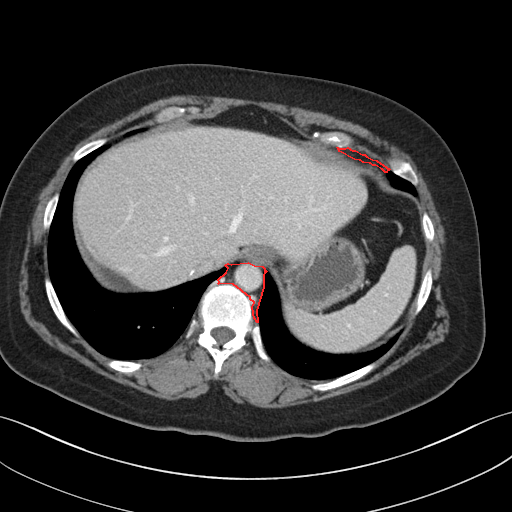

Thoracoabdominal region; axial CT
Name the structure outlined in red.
red: mediastinum.
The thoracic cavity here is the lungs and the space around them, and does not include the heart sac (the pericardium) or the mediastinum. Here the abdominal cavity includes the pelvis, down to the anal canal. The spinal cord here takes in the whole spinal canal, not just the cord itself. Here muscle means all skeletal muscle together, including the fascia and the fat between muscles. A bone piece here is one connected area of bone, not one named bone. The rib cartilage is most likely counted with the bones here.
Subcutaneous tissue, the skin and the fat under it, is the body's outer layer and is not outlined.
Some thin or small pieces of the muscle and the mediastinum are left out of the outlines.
{"mediastinum":[[[248,262],[254,265],[262,266],[266,271],[264,272],[263,275],[263,287],[256,310],[257,322],[254,318],[252,307],[254,302],[250,299],[250,297],[233,284],[218,283],[219,282],[218,279],[226,272],[228,268],[225,265],[228,263],[231,264]],[[337,147],[338,148],[345,148],[347,147],[352,150],[355,150],[362,154],[364,154],[366,156],[372,159],[376,160],[389,169],[387,170],[386,172],[385,172],[382,169],[375,165],[373,165],[370,163],[363,162],[360,160],[354,159],[339,151]]],"abdominal_cavity":[[[244,105],[263,108],[304,136],[379,168],[394,188],[417,198],[424,273],[401,329],[379,346],[334,354],[304,345],[284,323],[273,277],[248,261],[228,262],[167,289],[134,293],[104,288],[84,263],[74,238],[72,204],[78,180],[96,156],[157,122]]],"torso":[[[171,63],[232,65],[359,86],[407,106],[440,134],[464,176],[479,235],[485,341],[477,363],[468,373],[435,399],[372,425],[318,437],[242,442],[147,429],[114,419],[28,381],[4,362],[0,356],[0,203],[13,173],[48,125],[84,94],[123,74]]],"spinal_cord":[[[218,327],[227,327],[228,328],[229,328],[231,330],[232,330],[234,333],[234,335],[233,336],[233,337],[229,340],[228,340],[226,342],[225,342],[222,344],[220,344],[211,334],[211,332],[212,331],[212,330],[213,329],[214,329],[215,328],[217,328]]],"bones":[{"outer":[[215,280],[218,284],[233,285],[253,302],[253,318],[271,359],[268,362],[258,355],[248,333],[245,337],[246,345],[224,360],[216,379],[213,376],[214,359],[197,342],[202,329],[199,327],[189,338],[185,338],[192,318],[198,315],[198,304],[203,293]],"hole":[[218,327],[227,327],[228,328],[229,328],[231,330],[232,330],[234,333],[234,335],[233,336],[233,337],[229,340],[228,340],[226,342],[225,342],[222,344],[220,344],[211,334],[211,332],[212,331],[212,330],[213,329],[214,329],[215,328],[217,328]]},[[372,362],[376,362],[376,366],[368,373],[356,380],[354,380],[346,384],[325,391],[315,390],[311,387],[311,385],[313,384],[323,383],[329,381],[332,379],[337,378],[340,376],[355,371],[368,364],[370,364]],[[46,277],[48,277],[50,279],[51,283],[52,284],[52,286],[54,289],[54,291],[61,305],[61,307],[66,317],[77,331],[78,333],[77,335],[73,334],[67,328],[66,328],[56,317],[49,303],[49,301],[46,294],[45,286],[44,285],[44,279]],[[390,158],[398,158],[399,159],[401,159],[404,161],[406,161],[408,162],[414,170],[417,176],[417,180],[418,181],[417,182],[417,185],[414,186],[409,181],[400,177],[398,175],[394,173],[390,169],[390,166],[388,163],[388,159]],[[315,131],[320,131],[321,132],[324,132],[325,131],[329,131],[330,132],[331,131],[342,132],[349,135],[353,140],[348,146],[345,147],[338,147],[336,145],[334,145],[331,143],[327,143],[324,141],[320,140],[318,138],[314,138],[312,137],[312,133]],[[429,268],[431,269],[431,272],[432,273],[432,286],[431,287],[430,293],[427,298],[426,302],[420,311],[417,314],[413,315],[413,312],[415,309],[416,298],[417,297],[417,295],[418,294],[418,292],[419,291],[419,289],[422,282],[423,276],[427,269]],[[169,106],[178,106],[179,107],[187,107],[188,106],[196,106],[200,108],[200,111],[199,111],[197,113],[185,113],[183,115],[179,117],[175,117],[172,119],[169,119],[165,121],[157,121],[155,117],[155,115],[162,109],[166,107],[168,107]],[[103,137],[105,137],[108,139],[107,142],[101,145],[99,147],[94,149],[86,155],[80,158],[77,161],[75,162],[73,161],[72,158],[75,152],[80,147],[81,147],[84,144],[92,140],[94,140],[98,138],[102,138]],[[110,359],[117,359],[118,360],[124,360],[125,361],[136,361],[137,362],[140,362],[142,364],[142,365],[141,366],[141,367],[139,369],[138,369],[137,370],[135,370],[132,372],[122,372],[121,371],[116,370],[115,369],[110,367],[107,364],[108,361]],[[57,192],[59,193],[59,196],[58,197],[57,204],[56,205],[56,207],[53,214],[53,217],[52,218],[52,220],[49,227],[49,230],[45,230],[43,227],[43,218],[44,217],[44,211],[45,210],[45,207],[47,204],[47,202],[50,199],[50,198]],[[424,212],[426,212],[428,214],[433,224],[433,227],[434,228],[434,235],[433,236],[433,239],[432,241],[426,241],[425,239],[425,236],[424,235],[424,232],[423,231],[423,228],[422,227],[422,215]]],"muscle":[{"outer":[[182,94],[211,95],[212,96],[232,97],[241,99],[250,99],[256,101],[269,101],[290,106],[297,106],[314,111],[323,112],[335,117],[348,120],[356,124],[359,124],[368,129],[380,138],[386,140],[390,144],[393,144],[397,146],[404,152],[407,153],[413,160],[421,173],[428,189],[431,193],[435,207],[440,216],[441,222],[444,227],[445,247],[444,248],[444,255],[443,256],[443,263],[441,272],[441,284],[444,294],[446,308],[449,314],[449,333],[447,337],[443,341],[426,349],[389,374],[368,385],[347,393],[340,394],[316,402],[301,403],[291,406],[278,407],[277,408],[266,408],[254,405],[237,403],[224,393],[221,384],[217,381],[212,383],[210,385],[209,389],[205,393],[194,398],[180,398],[171,400],[156,397],[131,386],[110,379],[90,369],[77,360],[54,348],[44,341],[26,322],[20,310],[19,293],[18,292],[20,267],[23,257],[24,246],[27,234],[27,228],[29,223],[30,214],[36,202],[38,194],[52,173],[63,159],[81,140],[91,133],[101,127],[137,110],[150,102],[160,98]],"hole":[[244,105],[271,112],[309,138],[315,131],[345,133],[353,140],[348,148],[389,169],[390,158],[408,162],[417,176],[414,187],[419,211],[426,212],[433,224],[433,239],[425,242],[423,261],[423,272],[430,268],[432,273],[426,302],[415,315],[413,306],[397,339],[374,361],[372,370],[335,388],[315,390],[311,385],[329,379],[297,376],[272,359],[265,361],[249,333],[246,345],[224,360],[216,379],[214,359],[197,342],[200,327],[155,356],[135,359],[142,364],[139,369],[122,372],[107,364],[110,357],[58,320],[46,294],[50,231],[43,227],[44,211],[50,198],[61,191],[80,147],[103,137],[109,142],[155,124],[155,115],[169,106],[196,106],[199,113],[205,113]]}],"thoracic_cavity":[[[147,125],[150,125],[148,128],[96,155],[77,180],[71,204],[71,226],[83,263],[100,286],[120,294],[167,290],[227,268],[204,290],[186,331],[169,348],[155,356],[125,360],[98,351],[67,317],[50,278],[48,238],[60,192],[76,162],[124,133]],[[265,272],[271,276],[277,288],[283,323],[289,333],[298,342],[308,348],[334,355],[359,354],[379,347],[397,332],[401,331],[395,342],[385,353],[374,361],[355,370],[331,379],[310,379],[294,375],[282,368],[271,358],[262,340],[257,310],[264,287]],[[389,170],[390,170],[394,174],[395,174],[400,178],[409,182],[415,188],[415,190],[416,191],[417,196],[416,197],[412,195],[407,191],[404,191],[401,189],[398,189],[394,187],[390,183],[390,181],[388,179],[386,175],[386,173],[387,171]]]}